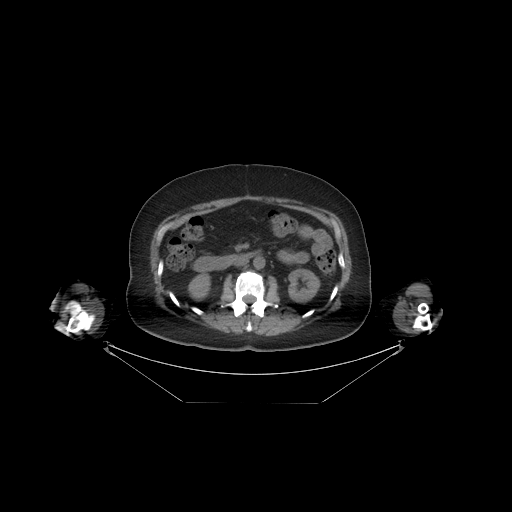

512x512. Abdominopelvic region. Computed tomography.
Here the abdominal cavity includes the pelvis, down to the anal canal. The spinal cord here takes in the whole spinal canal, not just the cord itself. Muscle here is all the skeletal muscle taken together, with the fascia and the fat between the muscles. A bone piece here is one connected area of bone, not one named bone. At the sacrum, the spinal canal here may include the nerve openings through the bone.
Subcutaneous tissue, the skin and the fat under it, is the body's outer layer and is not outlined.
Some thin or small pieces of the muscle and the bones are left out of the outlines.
The abdominal cavity is outlined by 245,200 301,211 331,228 338,248 340,274 321,306 300,313 280,299 278,282 273,275 264,278 253,269 243,270 235,278 229,273 223,280 219,299 206,309 179,301 166,287 164,261 160,255 165,233 197,214. The right arm is outlined by 73,276 79,276 81,278 83,278 90,285 101,292 113,295 118,300 120,304 121,307 120,315 110,324 106,333 100,338 75,340 62,333 60,333 50,322 48,317 48,308 50,306 59,287 64,280 68,277. The bones appear in 11 outlined pieces: piece 1: 247,270 253,270 262,275 265,287 263,295 264,300 278,305 277,307 271,305 267,306 264,309 262,317 248,311 238,316 235,316 233,309 230,306 223,307 221,306 234,300 235,298 234,285 236,277 239,273, around a hole outlined by 246,295 251,295 252,296 253,296 255,298 255,300 252,303 251,303 250,304 248,304 247,303 246,303 243,300 243,297 244,296 245,296; piece 2: 71,300 76,300 79,302 81,306 88,313 94,314 95,318 89,329 87,330 81,329 77,333 71,332 69,336 66,336 60,333 54,326 55,325 61,327 66,326 70,317 70,313 65,308 65,306; piece 3: 421,302 424,302 426,303 429,307 428,309 428,312 429,313 430,319 432,323 432,327 431,329 429,330 424,330 422,331 419,328 414,328 412,326 413,322 414,321 414,319 418,314 418,311 417,310 417,306; piece 4: 168,223 169,223 169,224 167,226 167,228 166,229 166,231 164,233 164,234 161,239 161,241 159,243 158,243 157,242 157,236 158,235 158,231 159,230 159,229 162,226 163,226; piece 5: 332,220 334,220 336,222 336,223 337,224 337,225 338,226 338,227 339,228 339,230 340,231 340,237 339,238 337,238 335,236 335,233 334,232 334,226 333,225 333,223 332,222; piece 6: 340,252 341,253 342,253 342,254 343,255 343,259 344,260 344,263 345,264 345,267 344,268 341,268 340,267 340,266 339,265 339,264 338,263 338,254; piece 7: 169,290 170,290 174,294 174,295 175,296 175,297 178,300 178,301 179,302 179,303 180,304 180,305 179,306 177,306 171,300 171,299 170,298 170,297 169,296 169,294 168,293 168,291; piece 8: 161,259 163,261 163,271 162,272 162,274 160,276 158,276 158,275 157,274 157,269 158,268 158,264 159,263 159,261; piece 9: 336,284 337,284 337,285 338,286 338,289 337,290 337,292 336,293 335,296 333,298 333,299 331,301 329,301 329,297 330,296 330,294 331,293 331,292 332,291 332,290 333,289 334,286; piece 10: 191,306 194,306 195,307 197,307 198,308 199,308 200,309 201,309 203,311 203,313 202,314 201,314 200,315 199,315 198,314 197,314 194,311 193,311 191,309; piece 11: 312,308 314,308 314,311 313,312 313,313 312,314 311,314 309,316 308,316 307,317 305,317 304,318 303,318 302,317 302,314 304,314 308,310 309,310 310,309 311,309. The muscle appears in 3 outlined pieces: piece 1: 246,194 250,194 251,195 266,195 267,196 275,196 276,197 285,197 286,198 299,200 306,204 315,205 316,206 322,207 328,210 330,210 332,212 335,213 340,218 344,226 344,228 346,231 347,237 348,238 348,246 349,247 350,256 352,261 352,268 351,269 351,274 350,275 349,281 346,284 345,288 342,292 342,294 341,295 341,305 338,309 329,313 327,313 320,319 318,319 312,323 300,328 298,330 292,331 291,332 286,332 285,333 282,333 274,336 264,336 263,335 249,334 248,333 247,334 233,334 232,333 225,333 215,329 208,328 203,325 178,317 169,311 166,310 157,303 155,298 154,283 153,282 152,273 150,271 150,259 149,258 149,256 150,255 150,243 151,242 151,239 152,238 153,233 159,223 167,216 177,211 184,209 191,205 201,203 202,202 206,202 207,201 210,201 215,199 225,198 226,197 242,196, around holes outlined by 245,200 307,213 333,231 336,222 345,267 331,301 303,318 280,299 278,282 268,274 263,298 278,306 267,306 262,317 248,311 235,316 221,306 235,298 230,273 219,299 200,315 171,300 157,274 159,229 and by 248,321 250,321 250,322 251,323 251,326 252,327 252,329 251,330 251,331 250,331 249,332 248,331 247,331 246,330 246,325 247,324 247,322; piece 2: 415,282 426,284 429,287 437,321 433,326 429,312 430,307 426,302 421,301 416,306 417,314 414,317 411,325 414,329 419,329 421,331 417,333 408,333 400,330 396,326 392,314 394,306 400,295; piece 3: 73,283 84,283 104,307 102,323 93,333 84,331 81,334 76,334 81,330 89,330 96,318 94,313 88,312 76,299 71,299 64,306 64,308 69,313 69,317 65,326 55,324 61,308 63,296 69,286. The left arm is outlined by 420,275 428,277 436,290 443,309 443,323 435,331 428,335 421,335 414,338 407,338 405,341 402,339 400,341 398,341 390,333 385,323 381,319 379,319 375,316 375,310 379,301 382,298 395,292 411,279. The spinal cord is outlined by 246,295 251,295 252,296 253,296 255,298 255,300 252,303 251,303 250,304 248,304 247,303 246,303 243,300 243,297 244,296 245,296. The torso is outlined by 230,163 281,165 311,173 335,186 353,203 361,218 369,251 372,291 368,315 353,334 335,342 295,350 273,352 220,351 163,340 143,331 132,321 125,296 129,279 128,242 132,223 141,206 156,190 178,176.